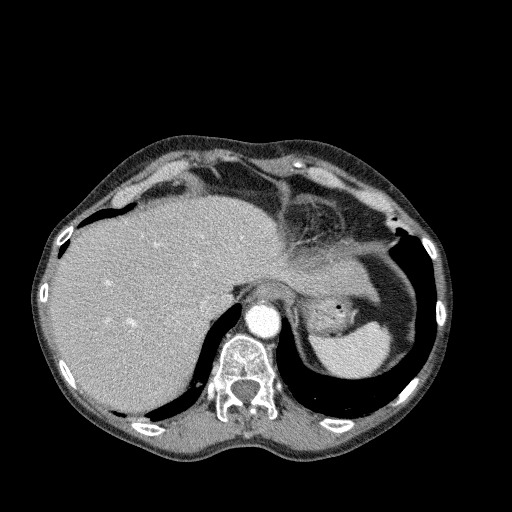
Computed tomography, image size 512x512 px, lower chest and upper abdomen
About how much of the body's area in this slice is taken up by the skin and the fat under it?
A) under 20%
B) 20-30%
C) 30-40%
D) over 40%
Answer: A) under 20%
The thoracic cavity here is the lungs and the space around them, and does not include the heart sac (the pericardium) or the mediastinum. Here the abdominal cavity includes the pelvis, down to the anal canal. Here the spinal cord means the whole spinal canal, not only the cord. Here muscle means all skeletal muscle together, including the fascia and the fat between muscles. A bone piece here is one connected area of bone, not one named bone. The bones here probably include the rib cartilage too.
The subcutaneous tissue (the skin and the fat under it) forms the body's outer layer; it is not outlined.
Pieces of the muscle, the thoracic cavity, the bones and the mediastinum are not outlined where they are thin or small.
The bones appear in 10 outlined pieces: piece 1: [[236,333],[257,339],[269,348],[272,354],[272,364],[283,384],[283,392],[274,394],[278,412],[273,419],[269,418],[265,407],[258,406],[255,414],[248,414],[231,405],[226,412],[227,420],[222,421],[217,417],[214,401],[206,398],[206,385],[220,346]] with a hole at [[245,380],[252,380],[253,381],[255,381],[257,382],[259,385],[259,388],[257,392],[254,395],[254,396],[248,402],[246,403],[242,400],[241,400],[238,397],[237,397],[233,393],[231,389],[231,386],[233,383],[237,381],[244,381]]; piece 2: [[295,160],[300,160],[308,166],[312,165],[322,167],[341,178],[350,186],[367,189],[383,195],[393,203],[392,205],[395,208],[393,212],[395,215],[374,209],[358,200],[345,190],[329,187],[312,181],[305,176],[305,173],[301,168],[297,168],[292,165]]; piece 3: [[180,159],[185,159],[190,164],[190,166],[185,171],[169,180],[161,181],[148,187],[140,193],[138,193],[131,201],[122,207],[114,208],[110,206],[110,201],[112,197],[119,190],[123,189],[126,186],[133,183],[137,183],[141,181],[160,166],[168,162]]; piece 4: [[325,417],[330,417],[331,418],[340,418],[341,419],[352,419],[355,422],[355,424],[349,430],[348,430],[347,431],[344,431],[343,432],[341,432],[340,433],[338,433],[337,432],[335,432],[334,431],[329,430],[328,429],[323,427],[319,424],[319,421]]; piece 5: [[131,419],[140,419],[143,422],[145,422],[146,423],[154,423],[155,424],[157,424],[165,428],[167,430],[163,432],[161,434],[159,434],[158,435],[154,435],[153,436],[151,435],[147,435],[146,434],[141,433],[137,431],[135,429],[134,429],[130,425]]; piece 6: [[415,376],[418,376],[418,377],[419,378],[419,381],[418,382],[416,387],[402,402],[401,402],[399,404],[398,404],[395,406],[393,406],[392,405],[392,402],[393,402],[394,401],[394,400],[396,398],[396,397],[398,395],[398,394],[405,387],[405,386]]; piece 7: [[60,358],[61,358],[63,360],[63,361],[66,364],[69,370],[71,372],[71,374],[73,376],[78,386],[78,389],[75,389],[73,388],[68,383],[68,382],[61,374],[60,372],[60,370],[59,369],[59,367],[58,366],[58,361]]; piece 8: [[437,299],[440,299],[443,303],[443,304],[445,307],[445,312],[446,313],[446,317],[445,318],[445,322],[444,323],[444,324],[441,327],[440,327],[439,328],[437,326],[437,323],[436,322],[436,312],[435,311],[435,310],[436,309],[436,301],[437,300]]; piece 9: [[69,225],[73,225],[74,226],[74,230],[73,231],[73,232],[72,233],[72,234],[70,236],[70,237],[63,244],[62,244],[59,247],[58,246],[57,246],[56,245],[56,239],[57,238],[57,236],[58,235],[58,234],[63,229],[64,229]]; piece 10: [[423,236],[425,236],[427,238],[428,238],[432,242],[432,243],[435,248],[436,253],[437,254],[437,257],[435,260],[432,260],[431,259],[431,258],[429,256],[427,251],[425,249],[424,246],[422,244],[422,242],[420,239],[421,238],[421,237],[422,237]]. The spinal cord is outlined by [[245,380],[252,380],[253,381],[255,381],[257,382],[259,385],[259,388],[257,392],[254,395],[254,396],[248,402],[246,403],[242,400],[241,400],[238,397],[237,397],[233,393],[231,389],[231,386],[233,383],[237,381],[244,381]]. The mediastinum appears in 3 outlined pieces: piece 1: [[291,174],[299,174],[320,185],[345,191],[363,204],[383,213],[385,216],[383,215],[382,218],[386,226],[400,238],[399,241],[395,244],[374,236],[343,236],[345,233],[344,215],[338,204],[334,200],[317,192],[301,192],[295,195],[289,183],[283,177]]; piece 2: [[252,296],[267,296],[271,298],[273,302],[283,311],[284,316],[281,319],[281,328],[278,334],[278,342],[275,349],[275,361],[269,347],[266,346],[257,338],[243,332],[234,333],[224,340],[220,345],[223,336],[235,325],[241,315],[242,307],[250,300]]; piece 3: [[166,181],[169,181],[174,185],[181,188],[178,191],[174,191],[169,193],[161,193],[160,194],[153,195],[146,198],[143,198],[134,203],[133,202],[130,202],[131,202],[132,200],[138,195],[138,194],[140,194],[148,188],[150,188],[158,183],[165,182]]. The abdominal cavity is outlined by [[219,160],[288,183],[283,234],[291,248],[343,237],[394,244],[416,296],[413,346],[373,377],[323,375],[302,363],[284,311],[252,295],[211,325],[181,395],[137,417],[111,411],[84,393],[54,342],[48,298],[58,258],[78,225],[178,192],[170,180]]. The pericardium is outlined by [[301,193],[317,193],[327,197],[330,200],[334,201],[337,204],[340,208],[343,215],[344,233],[342,237],[331,242],[312,247],[291,247],[289,246],[285,239],[285,235],[284,234],[284,224],[285,223],[284,216],[290,204],[289,203],[290,199],[292,197]]. The muscle is outlined by [[213,148],[221,148],[222,149],[232,150],[252,158],[275,158],[284,154],[299,153],[304,155],[307,154],[312,156],[316,156],[331,162],[358,179],[382,190],[390,196],[428,233],[431,238],[436,243],[439,249],[442,259],[442,266],[445,279],[445,287],[446,288],[445,294],[446,295],[447,310],[448,311],[447,312],[445,330],[442,338],[442,343],[437,352],[437,356],[430,374],[417,393],[404,407],[376,426],[364,432],[362,432],[346,442],[344,442],[337,446],[316,451],[296,450],[271,439],[267,439],[260,436],[252,437],[253,433],[250,430],[246,430],[243,432],[242,435],[243,437],[237,436],[231,439],[220,441],[209,445],[194,453],[178,453],[161,449],[158,447],[153,446],[147,442],[106,422],[85,408],[71,394],[61,378],[51,357],[51,354],[46,344],[46,341],[44,339],[39,322],[39,316],[36,303],[36,296],[37,295],[38,285],[45,270],[53,240],[58,232],[69,221],[83,210],[96,202],[109,191],[122,182],[140,171],[148,163],[162,154],[170,151],[181,150],[182,149],[207,150]], around a hole outlined by [[223,155],[277,176],[304,176],[301,168],[292,165],[295,160],[322,167],[350,186],[383,195],[393,203],[396,218],[418,238],[432,242],[437,254],[431,261],[436,298],[446,317],[436,327],[431,349],[416,374],[416,387],[402,402],[393,406],[394,397],[354,417],[355,424],[338,433],[320,425],[327,416],[300,403],[284,384],[283,392],[274,394],[278,412],[273,419],[265,407],[248,414],[231,405],[227,420],[222,421],[205,389],[188,409],[158,423],[167,430],[152,436],[134,429],[129,417],[97,403],[79,386],[73,388],[61,374],[48,303],[39,300],[39,288],[50,283],[58,261],[58,234],[110,208],[119,190],[168,162],[185,159],[190,168],[209,166],[223,161]]. The thoracic cavity appears in 3 outlined pieces: piece 1: [[384,213],[408,225],[432,262],[436,293],[433,343],[419,371],[390,401],[353,418],[327,416],[300,403],[273,364],[282,319],[289,323],[301,363],[314,373],[361,380],[387,372],[400,362],[416,340],[418,303],[410,278],[391,253],[401,238],[387,226]]; piece 2: [[235,304],[240,304],[241,306],[240,315],[234,325],[222,336],[219,342],[216,360],[211,367],[205,389],[199,398],[185,411],[159,423],[146,422],[140,418],[130,418],[144,416],[147,413],[181,396],[190,387],[202,345],[208,331],[212,325]]; piece 3: [[129,203],[133,203],[133,207],[123,213],[117,214],[113,216],[109,216],[108,217],[102,217],[99,219],[96,219],[93,221],[91,221],[89,223],[86,223],[84,225],[79,226],[79,224],[84,219],[98,210],[106,209],[107,208],[119,209],[122,208]]. The torso is outlined by [[181,134],[248,142],[301,138],[333,144],[391,181],[437,234],[453,287],[447,349],[429,389],[394,426],[349,452],[319,460],[293,461],[259,447],[239,447],[184,462],[111,435],[64,397],[38,343],[30,305],[45,242],[54,226],[121,161],[154,141]].